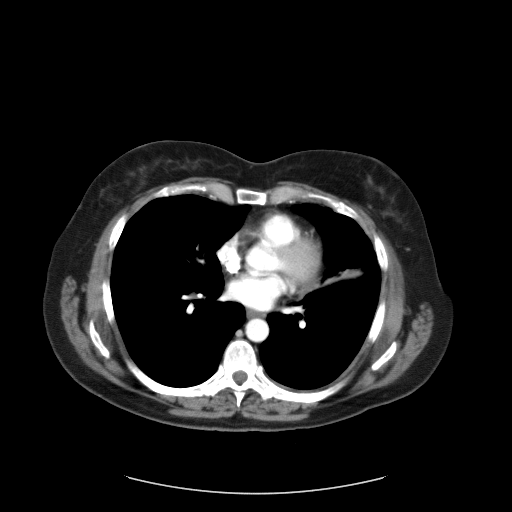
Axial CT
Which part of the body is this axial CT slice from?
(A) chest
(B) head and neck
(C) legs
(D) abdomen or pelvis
Answer: (A) chest
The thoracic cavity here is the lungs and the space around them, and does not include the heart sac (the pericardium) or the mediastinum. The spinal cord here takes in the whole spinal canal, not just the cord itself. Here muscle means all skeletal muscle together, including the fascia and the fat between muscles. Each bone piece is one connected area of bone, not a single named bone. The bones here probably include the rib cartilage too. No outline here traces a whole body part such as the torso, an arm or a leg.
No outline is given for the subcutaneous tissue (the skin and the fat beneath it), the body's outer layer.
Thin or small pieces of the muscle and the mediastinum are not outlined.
{"spinal_cord":[[[238,371],[242,371],[243,372],[244,372],[246,374],[246,379],[244,381],[243,381],[241,383],[237,383],[234,380],[234,379],[233,378],[233,374],[235,372],[237,372]]],"pericardium":[[[270,208],[285,210],[300,216],[314,226],[322,242],[323,267],[317,283],[311,289],[304,293],[301,297],[288,301],[268,311],[256,311],[249,309],[239,301],[230,299],[226,295],[224,291],[224,278],[220,262],[216,255],[216,251],[242,226],[250,215]]],"muscle":[{"outer":[[194,176],[218,177],[241,186],[232,187],[215,180],[165,185],[155,191],[150,196],[152,199],[128,219],[126,213],[121,214],[108,236],[108,250],[113,251],[113,254],[110,276],[105,277],[100,285],[102,305],[108,323],[116,323],[130,357],[124,359],[125,365],[141,384],[154,393],[187,398],[212,397],[228,388],[232,390],[238,410],[246,391],[250,389],[263,401],[273,398],[312,404],[339,391],[348,378],[332,383],[348,368],[362,348],[375,342],[386,313],[386,301],[383,298],[379,300],[382,271],[385,272],[389,266],[383,240],[374,231],[372,241],[357,221],[360,215],[342,200],[288,184],[263,190],[249,188],[265,188],[278,181],[305,183],[359,205],[391,244],[401,265],[405,305],[413,316],[419,310],[419,305],[426,302],[434,315],[427,343],[403,374],[389,384],[318,408],[303,419],[269,421],[248,418],[238,412],[218,418],[174,415],[167,411],[168,407],[164,404],[128,390],[87,366],[69,340],[61,318],[63,280],[70,275],[79,286],[87,281],[95,243],[108,222],[122,208],[153,187]],"holes":[[[91,319],[93,320],[93,324],[94,325],[94,327],[96,331],[99,334],[102,342],[109,351],[110,356],[108,358],[106,358],[103,355],[102,355],[100,353],[99,350],[94,345],[94,344],[92,342],[92,340],[88,332],[88,325],[89,324],[89,321]],[[395,340],[397,342],[397,347],[396,348],[396,351],[394,353],[394,354],[386,362],[385,362],[378,369],[377,369],[376,370],[372,370],[371,369],[371,365],[386,350],[386,349],[391,344],[391,343],[393,341],[394,341]]]}],"bones":[{"outer":[[234,339],[249,342],[264,373],[288,390],[315,391],[344,378],[347,381],[335,393],[312,403],[273,397],[263,400],[250,388],[245,391],[238,409],[233,390],[228,387],[212,396],[187,397],[154,392],[130,371],[126,358],[156,382],[184,388],[208,379]],"hole":[[238,371],[242,371],[243,372],[244,372],[246,374],[246,379],[244,381],[243,381],[241,383],[237,383],[234,380],[234,379],[233,378],[233,374],[235,372],[237,372]]},[[210,181],[220,182],[232,188],[244,187],[255,191],[283,185],[298,187],[342,201],[359,215],[359,219],[356,220],[337,212],[318,199],[299,199],[296,201],[290,199],[277,204],[268,203],[264,205],[228,204],[200,191],[151,198],[155,192],[165,186]],[[382,299],[385,301],[385,313],[384,314],[384,318],[383,319],[383,322],[382,323],[381,329],[374,342],[372,343],[367,343],[363,347],[362,347],[366,339],[366,337],[369,332],[369,330],[371,327],[379,301]],[[105,278],[109,278],[110,293],[111,294],[111,302],[112,303],[113,313],[114,314],[114,318],[115,319],[115,322],[112,324],[110,324],[107,319],[107,315],[104,309],[103,300],[102,299],[102,288],[101,287],[101,285],[102,284],[103,280]],[[374,232],[375,232],[380,237],[384,244],[384,246],[386,250],[388,266],[387,267],[387,269],[385,271],[381,270],[380,266],[378,263],[377,255],[376,254],[376,252],[374,248],[374,245],[373,244],[373,234]],[[123,214],[126,214],[127,215],[127,220],[122,229],[122,231],[118,238],[118,240],[116,243],[116,245],[114,249],[112,251],[110,251],[109,250],[108,241],[109,240],[109,236],[110,235],[111,230],[114,224],[118,219],[118,218],[121,215]],[[91,319],[93,320],[93,324],[94,325],[94,327],[96,331],[99,334],[102,342],[109,351],[110,356],[108,358],[106,358],[103,355],[102,355],[100,353],[99,350],[94,345],[94,344],[92,342],[92,340],[88,332],[88,325],[89,324],[89,321]],[[395,340],[397,342],[397,347],[396,348],[396,351],[394,353],[394,354],[386,362],[385,362],[378,369],[377,369],[376,370],[372,370],[371,369],[371,365],[386,350],[386,349],[391,344],[391,343],[393,341],[394,341]]],"mediastinum":[[[302,296],[303,297],[301,299],[293,301],[285,305],[281,309],[271,311],[267,314],[266,321],[269,327],[269,333],[259,345],[258,355],[254,347],[246,339],[232,339],[236,331],[245,321],[245,307],[249,310],[256,312],[268,312],[288,302],[297,300]],[[290,200],[295,202],[297,201],[318,202],[327,206],[322,206],[316,203],[302,204],[297,202],[293,205],[292,210],[303,217],[285,209],[270,207],[250,214],[244,222],[248,211],[250,209],[250,205],[260,206],[268,204],[277,205],[285,203]],[[324,262],[326,264],[326,267],[322,274],[322,277],[321,278],[321,279],[320,280],[318,285],[316,287],[315,287],[313,289],[312,289],[312,288],[313,288],[318,283],[318,282],[322,275],[321,274],[322,273],[322,270],[324,267]]],"thoracic_cavity":[[[190,193],[210,195],[219,202],[230,206],[249,205],[241,226],[215,251],[223,278],[223,293],[230,300],[243,305],[245,317],[243,323],[224,348],[216,370],[197,384],[175,387],[156,381],[131,358],[116,322],[110,277],[114,250],[127,221],[153,199]],[[297,203],[329,207],[335,212],[355,220],[371,240],[381,271],[378,303],[365,339],[353,360],[326,387],[298,391],[288,389],[270,378],[258,358],[260,345],[270,333],[268,314],[301,300],[319,285],[327,267],[323,259],[322,238],[311,222],[293,210]]]}